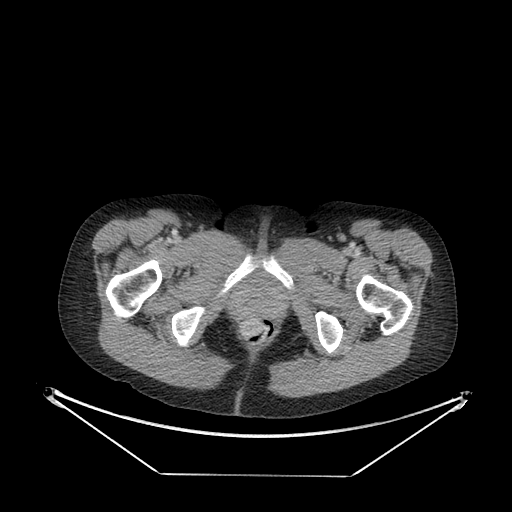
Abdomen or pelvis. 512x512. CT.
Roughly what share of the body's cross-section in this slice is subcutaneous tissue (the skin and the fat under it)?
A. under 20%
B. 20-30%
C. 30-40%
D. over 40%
Answer: C. 30-40%
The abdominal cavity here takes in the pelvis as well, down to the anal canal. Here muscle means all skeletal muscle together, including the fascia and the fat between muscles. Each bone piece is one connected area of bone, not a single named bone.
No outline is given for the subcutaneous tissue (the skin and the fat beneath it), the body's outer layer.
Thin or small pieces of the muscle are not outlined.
{"torso":[[[175,192],[208,196],[227,210],[244,203],[277,203],[307,212],[325,201],[345,200],[418,213],[442,237],[453,267],[458,330],[451,356],[437,370],[400,388],[334,412],[295,419],[174,408],[94,371],[66,341],[57,313],[73,237],[88,215],[112,200]]],"muscle":[{"outer":[[151,208],[173,211],[196,231],[216,229],[241,237],[253,249],[269,251],[283,238],[332,243],[344,236],[354,221],[364,218],[416,231],[430,248],[433,262],[409,357],[380,376],[345,389],[303,397],[277,396],[266,388],[268,365],[293,359],[312,347],[290,309],[277,339],[260,351],[251,365],[224,311],[205,328],[205,345],[235,364],[214,389],[169,385],[116,361],[104,353],[97,339],[101,309],[91,243],[111,219]],"holes":[[[260,276],[269,278],[280,286],[281,290],[285,294],[287,308],[285,310],[281,319],[279,320],[279,323],[274,332],[266,341],[261,345],[247,345],[244,341],[244,338],[233,313],[233,310],[230,305],[230,302],[234,292],[244,282],[251,278],[255,278]],[[150,259],[157,260],[158,262],[162,274],[162,280],[160,285],[156,291],[143,302],[139,310],[134,315],[128,318],[116,316],[114,314],[114,311],[110,305],[107,297],[105,295],[105,288],[109,280],[115,274],[126,272],[128,270],[132,269],[143,262]],[[364,274],[369,274],[381,282],[383,282],[395,289],[404,292],[410,298],[413,305],[413,308],[408,317],[408,319],[398,331],[389,335],[383,335],[380,330],[380,321],[382,319],[382,317],[379,314],[367,312],[359,304],[355,294],[355,290],[357,284]],[[248,253],[251,254],[257,260],[267,258],[270,255],[272,255],[277,262],[291,275],[293,280],[293,288],[288,289],[275,276],[266,271],[260,266],[254,269],[239,281],[236,282],[222,295],[217,296],[217,294],[223,287],[224,282],[228,275],[241,263]],[[196,305],[203,306],[205,308],[205,311],[200,317],[200,319],[197,325],[197,327],[195,330],[195,332],[193,334],[190,340],[190,344],[186,347],[184,346],[179,346],[171,330],[171,318],[174,313],[182,309],[184,309],[185,308],[190,308]],[[319,310],[323,310],[330,314],[334,315],[339,320],[340,323],[344,329],[343,331],[343,334],[341,338],[341,341],[339,345],[331,353],[328,353],[320,344],[318,337],[317,336],[317,328],[316,327],[316,322],[315,321],[315,314],[316,312]]]}],"bones":[[[150,259],[157,260],[158,262],[162,274],[162,280],[160,285],[156,291],[143,302],[139,310],[134,315],[128,318],[116,316],[114,314],[114,311],[110,305],[107,297],[105,295],[105,288],[109,280],[115,274],[126,272],[128,270],[132,269],[143,262]],[[364,274],[369,274],[381,282],[383,282],[395,289],[404,292],[410,298],[413,305],[413,308],[408,317],[408,319],[398,331],[389,335],[383,335],[380,330],[380,321],[382,319],[382,317],[379,314],[367,312],[359,304],[355,294],[355,290],[357,284]],[[248,253],[251,254],[257,260],[267,258],[270,255],[272,255],[277,262],[291,275],[293,280],[293,288],[288,289],[275,276],[266,271],[260,266],[254,269],[239,281],[236,282],[222,295],[217,296],[217,294],[223,287],[224,282],[228,275],[241,263]],[[196,305],[203,306],[205,308],[205,311],[200,317],[200,319],[197,325],[197,327],[195,330],[195,332],[193,334],[190,340],[190,344],[186,347],[184,346],[179,346],[171,330],[171,318],[174,313],[182,309],[184,309],[185,308],[190,308]],[[319,310],[323,310],[330,314],[334,315],[339,320],[340,323],[344,329],[343,331],[343,334],[341,338],[341,341],[339,345],[331,353],[328,353],[320,344],[318,337],[317,336],[317,328],[316,327],[316,322],[315,321],[315,314],[316,312]]],"abdominal_cavity":[[[260,276],[269,278],[280,286],[281,290],[285,294],[287,308],[285,310],[281,319],[279,320],[279,323],[274,332],[266,341],[261,345],[247,345],[244,341],[244,338],[233,313],[233,310],[230,305],[230,302],[234,292],[244,282],[251,278],[255,278]]]}